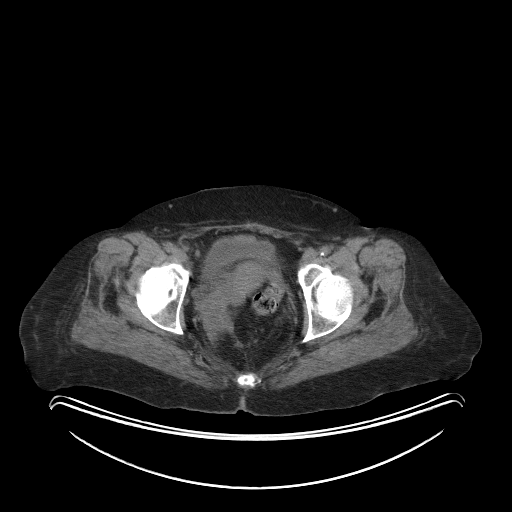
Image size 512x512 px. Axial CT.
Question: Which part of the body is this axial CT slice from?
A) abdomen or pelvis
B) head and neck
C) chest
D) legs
Answer: A) abdomen or pelvis
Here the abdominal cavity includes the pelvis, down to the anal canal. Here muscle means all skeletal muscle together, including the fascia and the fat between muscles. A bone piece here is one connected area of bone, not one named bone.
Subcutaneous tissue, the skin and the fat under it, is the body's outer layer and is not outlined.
{"muscle":[{"outer":[[247,221],[303,232],[327,243],[341,244],[346,238],[368,234],[396,241],[406,255],[404,300],[418,327],[415,340],[387,356],[291,386],[246,391],[234,385],[208,389],[128,357],[72,341],[70,332],[86,289],[89,262],[100,240],[125,232],[160,235]],"hole":[[234,229],[257,231],[289,240],[302,252],[297,261],[298,268],[308,263],[328,265],[334,273],[349,280],[354,292],[347,319],[330,333],[302,343],[308,316],[300,289],[300,331],[284,351],[252,372],[261,379],[254,387],[240,386],[236,382],[239,375],[250,370],[236,369],[186,331],[185,296],[179,316],[184,332],[181,335],[153,324],[140,311],[134,294],[138,278],[151,266],[175,262],[189,269],[197,237],[212,230]]}],"bones":[[[308,263],[316,263],[323,266],[328,265],[334,273],[338,273],[346,277],[353,288],[354,297],[352,309],[349,316],[337,328],[330,333],[302,343],[301,340],[307,330],[308,316],[305,305],[305,300],[303,296],[303,291],[297,281],[297,269],[300,266]],[[165,262],[179,263],[185,268],[187,268],[191,271],[185,295],[182,302],[182,306],[180,309],[180,315],[179,316],[180,324],[184,332],[182,335],[164,330],[153,324],[142,314],[136,304],[136,298],[134,293],[137,287],[138,278],[151,266],[159,266]],[[250,372],[252,372],[254,373],[258,377],[259,377],[261,379],[261,381],[257,383],[254,386],[254,387],[251,387],[248,385],[245,385],[244,386],[240,386],[236,382],[236,378],[239,375],[241,374],[245,374],[246,373],[249,373]]],"torso":[[[250,184],[308,192],[349,210],[367,227],[398,227],[421,241],[481,328],[481,347],[465,374],[385,393],[353,407],[286,416],[240,409],[233,414],[163,409],[109,390],[73,386],[48,391],[35,383],[18,336],[21,313],[70,247],[162,201],[205,188]]],"abdominal_cavity":[[[234,229],[257,231],[277,239],[287,239],[302,252],[296,269],[296,281],[301,289],[298,293],[302,307],[300,331],[284,351],[255,371],[236,369],[227,361],[214,355],[186,331],[185,296],[192,274],[190,259],[193,256],[194,241],[212,230],[218,232]]]}